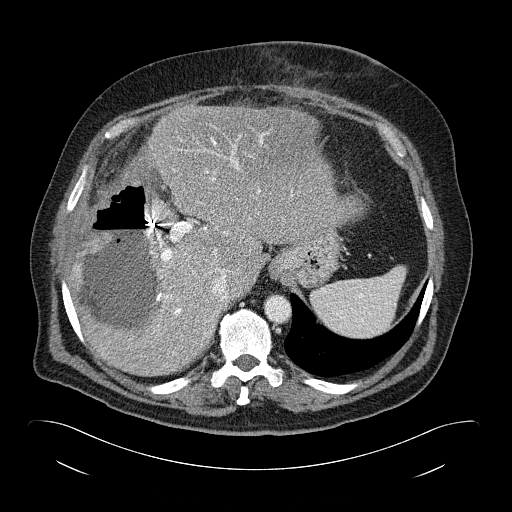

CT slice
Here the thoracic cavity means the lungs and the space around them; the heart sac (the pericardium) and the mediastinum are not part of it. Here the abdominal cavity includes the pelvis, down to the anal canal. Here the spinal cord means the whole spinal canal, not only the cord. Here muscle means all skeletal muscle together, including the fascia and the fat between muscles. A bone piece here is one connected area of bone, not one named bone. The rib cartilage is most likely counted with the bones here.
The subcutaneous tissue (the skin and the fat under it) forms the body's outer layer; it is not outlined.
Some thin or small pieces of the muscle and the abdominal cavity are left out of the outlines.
Outlines:
muscle: 269 83; 313 87; 366 106; 393 123; 416 148; 444 231; 437 336; 426 364; 377 392; 325 409; 289 413; 246 405; 250 402; 246 383; 254 377; 262 376; 272 387; 283 382; 284 369; 269 361; 274 346; 294 365; 313 376; 301 379; 305 385; 328 394; 352 391; 362 381; 348 381; 394 354; 414 328; 421 325; 434 294; 434 280; 427 271; 426 232; 434 228; 434 219; 425 197; 420 195; 418 201; 409 172; 400 161; 407 151; 396 133; 381 121; 365 123; 261 88; 228 90; 184 102; 140 123; 137 116; 129 116; 109 127; 102 137; 113 139; 100 156; 90 187; 73 218; 65 249; 66 279; 60 281; 64 311; 79 341; 85 344; 86 339; 97 357; 110 368; 130 379; 150 384; 145 388; 153 394; 173 393; 188 385; 194 379; 186 375; 218 339; 223 362; 211 372; 209 382; 219 388; 229 377; 238 378; 242 384; 235 403; 239 406; 222 416; 194 415; 126 397; 54 360; 48 350; 49 240; 64 193; 97 131; 119 114; 192 90; inner edge: 84 164; 88 164; 89 166; 88 172; 86 176; 86 182; 84 185; 83 190; 73 210; 70 212; 67 212; 66 210; 66 207; 67 206; 67 202; 68 201; 68 198; 70 195; 70 193; 75 183; 77 181; 81 173; 82 167
thoracic cavity 1: 426 280; 416 321; 409 337; 394 353; 371 369; 368 369; 362 375; 345 382; 319 378; 298 367; 285 354; 283 342; 291 329; 293 321; 291 303; 292 293; 295 294; 311 312; 318 325; 344 338; 368 340; 389 332; 404 318; 414 305
thoracic cavity 2: 216 334; 217 339; 216 338; 215 341; 213 342; 211 349; 205 354; 192 371; 190 371; 182 377; 168 380; 158 384; 151 384; 140 382; 125 375; 127 374; 132 377; 139 378; 154 378; 176 374; 186 369; 195 360; 204 354; 210 347
bones 1: 241 308; 252 310; 267 322; 273 342; 268 361; 284 371; 282 382; 277 386; 270 385; 262 375; 247 381; 249 402; 245 405; 236 403; 243 384; 238 377; 229 376; 219 387; 210 382; 212 372; 224 362; 217 332; 219 323; 226 313 with a hole at 244 354; 247 354; 248 355; 250 355; 251 356; 254 357; 257 360; 257 364; 256 364; 254 366; 253 366; 249 370; 243 370; 242 369; 241 369; 237 365; 236 365; 234 363; 234 362; 237 358; 238 358; 241 355; 243 355
bones 2: 313 377; 315 377; 319 379; 323 379; 331 382; 336 382; 337 383; 355 382; 359 380; 361 381; 361 384; 346 393; 343 393; 342 394; 328 393; 327 392; 324 392; 323 391; 318 390; 302 382; 302 379; 303 378; 312 378
bones 3: 63 279; 65 280; 69 289; 71 299; 75 308; 75 311; 77 314; 77 317; 80 324; 82 333; 85 339; 85 343; 82 343; 76 335; 70 324; 70 322; 66 314; 65 308; 63 304; 63 300; 62 299; 62 293; 61 292; 61 281
bones 4: 374 121; 378 121; 387 125; 395 133; 396 136; 399 138; 402 142; 406 151; 406 155; 402 159; 399 158; 398 159; 398 158; 392 153; 392 148; 389 142; 384 138; 384 136; 380 133; 378 129; 373 124; 369 124; 370 123; 371 124
bones 5: 185 376; 188 376; 193 379; 185 386; 173 392; 165 393; 164 394; 157 394; 156 393; 153 393; 151 392; 146 388; 146 387; 149 385; 158 385; 159 384; 162 384; 168 381; 171 381; 172 380; 175 380; 179 378; 182 378
bones 6: 84 164; 88 164; 89 166; 88 172; 86 176; 86 182; 84 185; 83 190; 73 210; 70 212; 67 212; 66 210; 66 207; 67 206; 67 202; 68 201; 68 198; 70 195; 70 193; 75 183; 77 181; 81 173; 82 167
bones 7: 428 277; 432 277; 432 279; 433 280; 433 294; 431 298; 431 301; 430 302; 429 307; 424 318; 422 320; 420 325; 417 327; 415 327; 415 325; 417 321; 417 318; 419 314; 421 303; 422 302; 423 296; 425 292; 425 289; 427 285
bones 8: 129 117; 137 117; 138 119; 138 121; 136 124; 135 124; 131 127; 129 127; 123 132; 122 132; 119 135; 111 139; 106 139; 103 137; 104 135; 104 133; 114 124; 115 124; 120 120; 122 120; 125 118; 128 118
bones 9: 420 196; 423 196; 424 197; 424 198; 430 209; 430 211; 431 212; 431 214; 432 215; 432 218; 433 219; 433 228; 431 230; 426 228; 426 227; 425 226; 425 224; 424 223; 424 220; 422 217; 422 212; 421 211; 421 206; 420 205
torso: 268 40; 331 43; 363 52; 417 85; 443 114; 453 138; 473 256; 467 292; 437 373; 407 402; 370 417; 319 431; 257 436; 161 425; 38 377; 32 366; 38 316; 29 269; 30 238; 38 208; 78 118; 105 88; 142 65; 186 52
spinal cord: 244 354; 247 354; 248 355; 250 355; 251 356; 254 357; 257 360; 257 364; 256 364; 254 366; 253 366; 249 370; 243 370; 242 369; 241 369; 237 365; 236 365; 234 363; 234 362; 237 358; 238 358; 241 355; 243 355
abdominal cavity: 254 89; 270 90; 377 129; 407 170; 419 200; 427 279; 394 327; 372 338; 354 339; 318 324; 295 293; 262 271; 249 293; 222 316; 207 350; 186 368; 154 377; 123 374; 92 349; 66 281; 68 237; 98 162; 122 133; 176 106
mediastinum: 262 272; 265 272; 273 280; 276 280; 282 283; 291 292; 290 303; 292 312; 292 321; 290 329; 282 342; 284 353; 278 350; 274 345; 273 335; 268 322; 257 312; 247 307; 241 307; 231 312; 228 312; 236 302; 250 293; 250 291